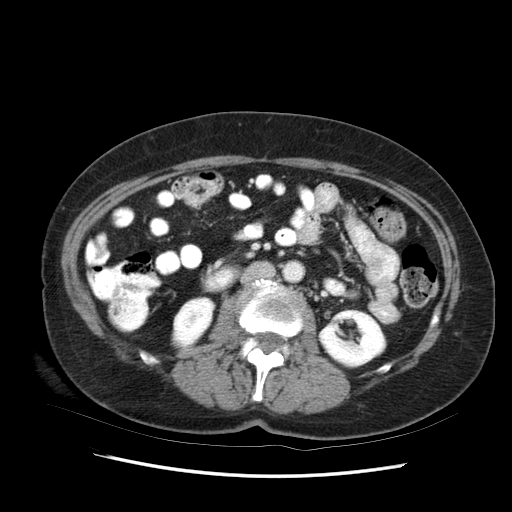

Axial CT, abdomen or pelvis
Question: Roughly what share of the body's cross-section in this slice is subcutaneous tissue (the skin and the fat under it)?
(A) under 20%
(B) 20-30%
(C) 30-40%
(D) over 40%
Answer: (C) 30-40%
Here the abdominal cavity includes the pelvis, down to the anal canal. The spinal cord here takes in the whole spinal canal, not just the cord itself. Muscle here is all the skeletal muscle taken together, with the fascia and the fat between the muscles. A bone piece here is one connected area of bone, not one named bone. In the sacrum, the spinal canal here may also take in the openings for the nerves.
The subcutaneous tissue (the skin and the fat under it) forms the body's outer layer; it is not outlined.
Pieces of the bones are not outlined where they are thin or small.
The abdominal cavity is outlined by 350,374 374,369 414,347 443,293 443,268 433,233 391,193 354,178 275,163 204,165 116,202 86,231 78,252 80,278 104,323 132,345 173,355 208,342 223,296 255,280 271,279 300,293 314,311 320,353. The spinal cord is outlined by 265,353 268,353 269,352 276,349 278,347 279,347 283,343 283,339 280,335 279,335 278,334 276,334 275,333 273,333 272,332 258,332 257,333 256,333 253,336 258,343 257,346 258,347 259,347. The torso is outlined by 315,440 369,436 415,423 453,402 479,374 495,327 495,281 452,187 426,160 380,133 292,112 195,115 137,133 98,156 66,189 44,234 42,328 26,357 36,383 66,401 94,404 159,429 223,434 259,426. The muscle is outlined by 279,415 289,414 295,412 304,415 318,413 339,406 347,401 353,401 352,399 354,397 360,395 382,381 384,381 392,376 402,373 416,365 419,361 419,357 434,344 441,333 443,329 443,326 451,318 453,313 453,309 457,302 461,291 460,288 460,264 455,240 449,227 440,213 424,198 403,185 388,178 377,177 365,170 359,169 341,162 318,159 317,158 310,158 309,157 269,158 266,155 262,157 251,157 238,154 213,155 212,156 205,156 190,159 174,165 149,172 138,177 122,181 102,192 85,206 74,219 65,235 61,251 60,263 61,264 63,283 66,293 73,308 83,320 86,326 112,350 114,356 119,361 127,364 136,365 138,368 153,371 161,377 162,381 166,381 171,383 173,386 176,387 188,398 205,408 208,409 221,409 226,411 235,412 243,409 248,405 255,403 261,403 266,408 264,409 266,411 271,414 278,414; inner edge: 254,401 302,328 303,299 320,353 350,374 386,372 438,323 440,251 413,209 361,180 256,162 180,173 89,227 80,278 104,323 147,365 159,363 153,353 208,342 223,296 240,292 248,335 239,355 256,368. The bones appear in 2 outlined pieces: piece 1: 254,401 261,401 267,373 271,368 283,365 289,354 287,341 301,330 303,324 302,299 299,293 291,287 271,280 255,281 240,292 237,300 240,306 238,322 248,334 242,343 239,355 256,368 255,391 252,395 with a hole at 265,353 268,353 269,352 276,349 278,347 279,347 283,343 283,339 280,335 279,335 278,334 276,334 275,333 273,333 272,332 258,332 257,333 256,333 253,336 258,343 257,346 258,347 259,347; piece 2: 147,365 153,365 154,364 157,364 158,363 159,363 159,361 152,354 151,354 149,352 148,352 141,348 139,348 138,349 138,352 139,353 139,355 140,356 140,357 142,359 142,360 144,362 144,363 145,363.